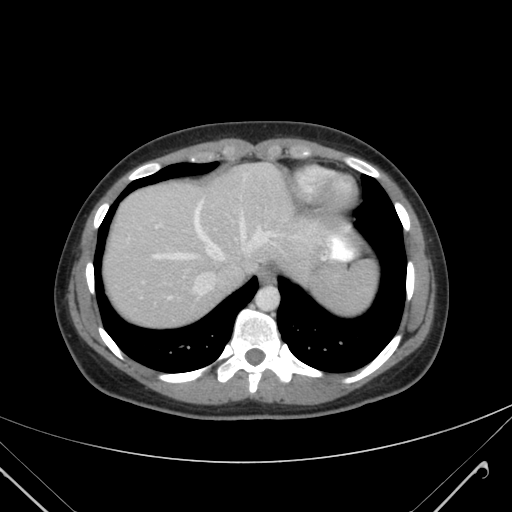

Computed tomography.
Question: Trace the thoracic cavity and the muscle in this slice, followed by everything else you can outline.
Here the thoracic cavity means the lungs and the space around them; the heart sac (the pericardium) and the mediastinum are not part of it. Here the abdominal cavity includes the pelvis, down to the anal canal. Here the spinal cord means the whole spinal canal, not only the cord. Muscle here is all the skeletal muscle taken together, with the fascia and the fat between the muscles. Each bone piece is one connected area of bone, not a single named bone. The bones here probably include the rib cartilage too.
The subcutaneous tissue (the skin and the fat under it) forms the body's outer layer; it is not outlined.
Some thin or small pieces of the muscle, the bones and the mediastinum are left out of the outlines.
Answer: Outlined structures:
thoracic cavity 1: [[327,372],[351,371],[369,362],[396,332],[403,309],[406,257],[402,227],[384,189],[376,179],[363,174],[363,198],[352,213],[356,227],[381,265],[380,287],[370,309],[354,319],[337,318],[298,286],[277,278],[281,301],[276,320],[283,341],[300,360]]
thoracic cavity 2: [[163,372],[212,362],[230,338],[236,314],[257,289],[257,278],[193,324],[171,330],[140,328],[120,318],[104,294],[104,242],[115,209],[128,193],[170,177],[205,173],[217,165],[215,160],[170,164],[130,182],[98,229],[93,263],[103,326],[127,355]]
muscle: [[207,405],[247,398],[300,405],[330,401],[381,374],[426,338],[437,289],[434,267],[414,210],[398,185],[378,166],[368,162],[380,171],[379,182],[391,200],[400,201],[410,216],[411,228],[403,231],[403,237],[407,260],[411,259],[415,266],[415,285],[411,300],[404,304],[397,331],[403,334],[400,344],[377,370],[351,384],[341,379],[359,369],[325,372],[321,378],[294,374],[286,384],[266,370],[257,391],[251,394],[247,373],[239,370],[220,383],[215,367],[193,381],[163,382],[156,377],[160,372],[125,354],[125,359],[120,360],[104,344],[97,331],[102,325],[97,302],[88,290],[84,267],[93,259],[97,230],[92,227],[92,219],[96,209],[104,201],[111,203],[129,182],[127,175],[148,161],[164,166],[206,150],[215,152],[216,160],[249,152],[263,158],[296,158],[288,151],[296,144],[312,151],[310,157],[299,158],[323,157],[343,162],[343,156],[354,155],[297,137],[271,138],[256,144],[240,138],[207,141],[129,170],[95,204],[81,232],[68,285],[69,312],[78,334],[147,388],[180,401]] with holes at [[224,155],[230,155],[232,153],[233,153],[233,152],[234,151],[234,148],[233,147],[233,146],[226,146],[221,151],[221,152]] and at [[272,154],[277,154],[278,153],[280,153],[280,152],[281,151],[281,149],[279,147],[279,146],[278,146],[277,145],[274,145],[273,146],[271,146],[269,148],[269,149],[268,150],[268,151],[270,153],[271,153]]
spinal cord: [[253,365],[255,365],[256,364],[259,363],[264,358],[264,353],[259,349],[257,349],[256,348],[254,348],[253,349],[251,349],[250,350],[247,351],[247,352],[245,354],[245,357],[246,358],[246,359],[251,364],[252,364]]
mediastinum: [[275,319],[276,318],[277,308],[280,301],[280,295],[278,291],[278,284],[276,278],[278,276],[282,276],[283,277],[284,276],[281,270],[276,265],[268,264],[253,275],[255,275],[258,278],[258,289],[252,299],[246,306],[249,306],[252,308],[265,312]]
abdominal cavity: [[151,329],[197,321],[268,263],[276,264],[287,279],[331,314],[354,318],[365,313],[375,298],[379,260],[355,227],[353,211],[321,215],[306,208],[289,188],[286,168],[271,159],[237,158],[205,174],[143,186],[116,209],[101,275],[105,294],[120,317]]
pericardium: [[321,214],[337,214],[338,213],[342,213],[343,212],[353,210],[359,204],[362,198],[362,187],[359,178],[351,170],[342,166],[340,164],[331,161],[310,159],[309,160],[300,161],[295,164],[292,164],[287,169],[290,188],[298,200],[302,204],[306,207]]
torso: [[212,421],[293,420],[345,412],[401,393],[433,363],[449,309],[442,244],[418,192],[386,156],[365,141],[330,126],[292,120],[225,121],[186,127],[158,136],[125,155],[78,210],[60,254],[53,287],[56,321],[76,366],[90,384],[111,397],[170,415]]
bones 1: [[251,393],[256,391],[266,369],[286,383],[294,373],[321,377],[324,372],[303,363],[290,351],[272,317],[249,307],[237,314],[231,338],[212,363],[192,371],[157,375],[166,382],[183,382],[215,366],[217,379],[225,382],[237,370],[243,369],[248,373]], around a hole outlined by [[253,365],[255,365],[256,364],[259,363],[264,358],[264,353],[259,349],[257,349],[256,348],[254,348],[253,349],[251,349],[250,350],[247,351],[247,352],[245,354],[245,357],[246,358],[246,359],[251,364],[252,364]]
bones 2: [[344,383],[351,383],[352,382],[357,381],[363,377],[370,374],[373,371],[377,369],[395,350],[400,342],[400,340],[402,337],[402,334],[401,333],[396,333],[385,347],[369,363],[365,366],[362,367],[353,375],[343,378],[342,379],[342,382]]
bones 3: [[377,179],[380,178],[381,175],[379,171],[376,168],[375,168],[369,163],[357,157],[355,157],[354,156],[350,156],[349,155],[348,156],[345,156],[342,158],[342,160],[345,163],[345,164],[346,164],[350,168],[354,170],[356,170],[361,173],[370,175]]
bones 4: [[129,181],[131,181],[134,179],[136,179],[140,177],[143,177],[147,175],[150,175],[159,170],[162,167],[162,165],[160,163],[158,162],[155,162],[154,161],[152,162],[148,162],[143,165],[141,165],[132,171],[128,175],[127,178]]
bones 5: [[406,303],[408,302],[411,298],[411,296],[413,292],[413,286],[414,285],[414,266],[411,260],[408,260],[407,261],[407,272],[406,273],[406,283],[405,284],[405,290],[406,291],[406,298],[405,299],[405,302]]
bones 6: [[120,359],[124,359],[124,353],[119,348],[119,347],[115,343],[115,342],[110,337],[110,336],[103,328],[103,327],[101,325],[100,325],[98,327],[98,331],[99,332],[99,334],[101,338],[103,340],[105,344],[111,350],[111,351]]
bones 7: [[404,231],[408,231],[410,228],[410,221],[409,220],[409,216],[404,206],[400,202],[398,201],[394,201],[393,202],[393,204],[394,205],[395,210],[399,217],[399,219],[402,224],[402,226],[403,227],[403,230]]
bones 8: [[95,229],[97,229],[100,225],[100,224],[101,223],[101,222],[102,221],[102,220],[110,205],[110,204],[107,202],[104,202],[103,203],[102,203],[99,206],[99,207],[97,209],[97,210],[95,213],[95,215],[94,216],[94,218],[93,219],[93,227]]
bones 9: [[92,294],[95,294],[94,293],[94,276],[93,275],[93,264],[92,263],[92,261],[89,260],[86,263],[86,266],[85,267],[85,276],[86,277],[86,280],[87,281],[87,284],[88,285],[88,287],[89,288],[89,290],[90,291],[90,292]]
bones 10: [[191,162],[205,162],[206,161],[210,161],[211,160],[213,160],[215,158],[215,153],[214,153],[213,152],[212,152],[211,151],[206,151],[205,152],[200,152],[199,153],[197,153],[196,154],[194,154],[193,155],[191,155],[188,158],[188,161],[190,161]]
bones 11: [[297,158],[298,158],[299,157],[307,157],[308,156],[310,156],[311,155],[311,151],[307,147],[305,147],[304,146],[300,146],[299,145],[296,145],[295,146],[293,146],[290,148],[290,149],[289,150],[289,151],[293,157],[296,157]]